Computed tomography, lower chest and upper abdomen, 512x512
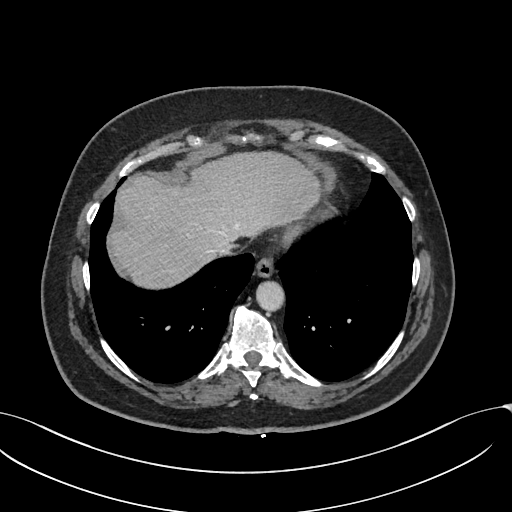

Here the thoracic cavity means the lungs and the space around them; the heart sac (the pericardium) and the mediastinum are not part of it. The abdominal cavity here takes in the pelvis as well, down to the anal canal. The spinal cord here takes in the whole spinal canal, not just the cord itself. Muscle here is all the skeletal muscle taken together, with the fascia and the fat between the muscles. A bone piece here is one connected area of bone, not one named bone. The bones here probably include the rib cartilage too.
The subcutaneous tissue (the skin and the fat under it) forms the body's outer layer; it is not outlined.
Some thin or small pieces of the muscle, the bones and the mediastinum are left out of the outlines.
Outlines:
pericardium: 338 181; 340 181; 343 184; 347 193; 349 207; 346 212; 327 219; 325 221; 316 224; 304 231; 288 248; 260 234; 260 233; 275 226; 291 222; 301 216; 320 197; 329 196; 332 193; 332 191; 335 185; 338 183
thoracic cavity 1: 370 172; 385 177; 399 196; 411 223; 413 258; 406 313; 402 327; 372 366; 342 381; 323 381; 302 368; 291 356; 282 339; 276 337; 276 334; 282 332; 286 311; 286 293; 277 262; 303 235; 316 226; 340 215; 348 217; 369 189
thoracic cavity 2: 123 177; 115 192; 105 236; 107 256; 120 278; 138 288; 159 291; 182 283; 219 258; 244 253; 253 257; 249 280; 230 310; 227 338; 223 337; 201 370; 178 383; 156 383; 137 374; 114 351; 97 323; 90 293; 90 230; 101 203
torso: 219 85; 301 85; 348 94; 394 118; 423 157; 450 239; 455 271; 453 309; 445 337; 427 371; 409 391; 379 411; 296 432; 186 432; 133 421; 82 400; 56 366; 42 319; 41 277; 53 220; 80 152; 100 127; 138 103; 178 90
bones 1: 244 305; 269 321; 275 337; 281 339; 294 361; 322 381; 323 386; 312 386; 294 377; 285 378; 277 368; 267 366; 260 368; 261 374; 255 387; 232 367; 220 375; 194 379; 212 360; 224 337; 225 340; 228 338; 230 315; 238 306; inner edge: 250 351; 255 351; 256 352; 257 352; 258 353; 259 353; 261 356; 261 357; 260 358; 260 359; 259 360; 259 361; 253 367; 251 367; 249 365; 249 364; 247 362; 247 361; 245 359; 245 358; 244 357; 244 355; 246 353; 247 353
bones 2: 189 134; 199 136; 203 140; 202 145; 189 146; 186 144; 180 147; 179 150; 175 153; 165 156; 159 156; 151 159; 137 166; 125 176; 120 178; 118 177; 118 172; 128 161; 160 145; 175 141; 184 141; 185 137
bones 3: 312 134; 313 135; 314 134; 315 135; 316 134; 328 135; 333 138; 340 140; 350 150; 361 151; 364 153; 373 155; 384 166; 386 170; 385 175; 369 171; 361 161; 349 152; 332 151; 317 146; 315 144; 309 142; 307 138; 309 135
bones 4: 402 328; 404 328; 405 329; 405 333; 403 336; 403 338; 398 348; 390 358; 390 359; 378 371; 377 371; 374 374; 373 374; 366 379; 361 380; 360 378; 374 365; 376 361; 385 352; 385 351; 392 343; 392 342
bones 5: 99 337; 103 337; 103 338; 107 342; 107 343; 110 346; 110 347; 113 350; 113 351; 128 366; 128 367; 139 377; 140 382; 137 382; 127 375; 126 375; 122 371; 121 371; 109 359; 109 358; 104 352; 100 344; 100 342; 99 341
bones 6: 403 195; 405 195; 412 202; 414 206; 414 208; 415 209; 415 218; 413 222; 411 222; 409 220; 408 218; 408 216; 403 206; 403 204; 402 203; 402 201; 400 197
bones 7: 415 255; 418 255; 419 256; 419 258; 420 259; 420 271; 419 272; 419 276; 418 277; 418 279; 417 280; 417 282; 415 285; 415 287; 412 289; 412 285; 411 284; 411 276; 412 275; 412 266; 413 265; 413 259; 414 258; 414 256
bones 8: 95 201; 98 201; 100 203; 100 205; 99 206; 99 208; 96 213; 96 215; 95 216; 95 217; 94 218; 92 223; 90 225; 89 225; 87 223; 87 221; 86 220; 86 214; 87 213; 87 211; 88 210; 90 205; 93 202; 94 202
bones 9: 86 259; 88 262; 88 266; 89 267; 89 281; 90 282; 90 292; 89 293; 88 293; 86 290; 86 288; 85 287; 85 284; 84 283; 84 281; 83 280; 83 275; 82 274; 82 264; 83 263; 83 261
bones 10: 249 133; 255 133; 256 134; 259 134; 260 135; 260 137; 259 138; 259 139; 258 139; 257 140; 256 140; 255 141; 243 141; 241 139; 240 139; 239 138; 238 138; 237 137; 236 137; 235 136; 235 135; 246 135; 247 134; 248 134
spinal cord: 250 351; 255 351; 256 352; 257 352; 258 353; 259 353; 261 356; 261 357; 260 358; 260 359; 259 360; 259 361; 253 367; 251 367; 249 365; 249 364; 247 362; 247 361; 245 359; 245 358; 244 357; 244 355; 246 353; 247 353
muscle: 265 117; 269 118; 273 117; 305 118; 321 122; 326 125; 336 128; 349 135; 357 141; 361 142; 379 154; 389 164; 391 168; 411 190; 413 193; 413 199; 415 201; 420 213; 420 217; 423 224; 423 230; 425 235; 425 243; 431 256; 431 264; 433 268; 434 299; 433 300; 432 319; 430 323; 430 326; 424 338; 409 356; 386 376; 349 399; 332 406; 322 408; 313 408; 312 409; 299 409; 286 405; 280 405; 273 401; 268 401; 267 400; 266 401; 256 401; 253 403; 250 401; 242 401; 236 405; 229 407; 227 407; 225 405; 219 405; 218 406; 202 407; 196 409; 175 408; 159 404; 119 382; 104 372; 94 363; 70 333; 68 325; 68 316; 67 315; 66 275; 70 268; 69 266; 70 264; 70 252; 73 247; 73 238; 78 218; 83 207; 90 199; 93 191; 102 183; 116 164; 134 149; 143 146; 148 142; 160 137; 166 133; 187 126; 205 124; 213 121; 218 121; 225 119; 235 119; 236 118; 240 119; 255 119; 258 118; 261 119; inner edges: 189 134; 199 136; 204 145; 279 143; 300 148; 316 147; 308 136; 323 134; 350 150; 373 155; 384 166; 389 184; 414 206; 411 246; 419 256; 420 271; 409 293; 403 338; 378 371; 361 380; 369 367; 316 387; 264 366; 252 387; 240 371; 229 367; 220 375; 162 384; 140 375; 137 382; 109 359; 99 341; 103 336; 82 274; 90 250; 87 211; 115 187; 128 161; 160 145; 184 141, then 249 133; 255 133; 256 134; 259 134; 260 135; 260 137; 259 138; 259 139; 258 139; 257 140; 256 140; 255 141; 243 141; 241 139; 240 139; 239 138; 238 138; 237 137; 236 137; 235 136; 235 135; 246 135; 247 134; 248 134, then 297 130; 303 130; 305 132; 305 135; 302 138; 301 138; 300 139; 298 139; 297 140; 294 140; 293 141; 290 141; 288 139; 288 137; 287 136; 288 135; 288 134; 289 134; 290 133; 291 133; 292 132; 294 132; 295 131; 296 131, then 251 393; 252 393; 253 393; 254 393; 255 393; 256 393; 257 394; 257 395; 258 396; 258 397; 258 398; 257 399; 256 399; 255 400; 254 400; 253 400; 252 399; 251 399; 250 398; 249 397; 249 396; 249 395; 250 394
mediastinum 1: 261 236; 288 249; 276 262; 278 275; 285 293; 285 311; 282 329; 281 332; 277 334; 265 316; 259 311; 249 308; 246 304; 238 305; 234 313; 231 313; 239 294; 250 280; 254 268; 253 255; 249 252; 243 253; 243 251; 255 239
mediastinum 2: 311 145; 328 151; 345 154; 361 162; 368 170; 370 174; 370 182; 368 189; 357 207; 348 216; 345 216; 344 214; 349 210; 350 207; 349 197; 344 184; 340 180; 338 180; 337 183; 336 168; 324 157; 314 154; 309 151; 305 146
mediastinum 3: 180 152; 184 152; 185 155; 173 159; 172 160; 172 163; 170 165; 169 168; 166 170; 148 170; 147 171; 144 171; 143 170; 136 171; 135 170; 137 167; 139 167; 141 165; 151 160; 156 159; 159 157; 170 156; 173 154; 176 154
mediastinum 4: 313 227; 314 227; 312 229; 311 229; 309 231; 308 231; 307 232; 306 232; 304 234; 303 234; 300 237; 299 240; 298 240; 296 242; 295 242; 296 241; 296 240; 304 232; 307 231; 309 229; 310 229
abdominal cavity: 210 143; 279 143; 305 148; 324 158; 335 168; 336 184; 331 193; 320 196; 293 220; 260 232; 261 235; 242 253; 214 259; 172 287; 144 289; 120 277; 106 248; 106 236; 112 222; 114 200; 119 186; 134 170; 166 171; 173 160